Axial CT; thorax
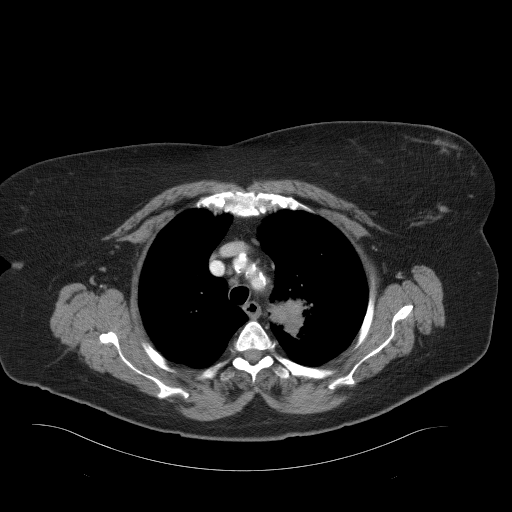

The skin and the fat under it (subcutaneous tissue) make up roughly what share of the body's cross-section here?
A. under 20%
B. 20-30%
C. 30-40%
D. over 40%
Answer: D. over 40%
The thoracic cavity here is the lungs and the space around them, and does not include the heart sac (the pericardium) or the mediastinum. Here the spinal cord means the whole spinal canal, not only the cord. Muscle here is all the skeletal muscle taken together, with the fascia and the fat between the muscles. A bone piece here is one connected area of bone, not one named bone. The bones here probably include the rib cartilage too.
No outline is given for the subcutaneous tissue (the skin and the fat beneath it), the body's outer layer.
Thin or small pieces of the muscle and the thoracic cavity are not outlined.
{"torso":[[[332,120],[438,126],[470,141],[488,164],[496,193],[483,231],[499,277],[490,342],[475,364],[376,417],[270,441],[208,440],[152,430],[5,374],[0,365],[0,274],[9,264],[0,257],[1,181],[27,165],[70,153],[163,141],[223,145],[280,128]]],"thoracic_cavity":[[[284,209],[292,211],[303,210],[317,214],[333,224],[354,248],[367,281],[367,304],[356,336],[343,351],[319,367],[300,364],[283,355],[277,350],[277,340],[271,337],[272,333],[267,310],[274,288],[275,264],[261,246],[258,239],[258,228],[268,215]],[[188,208],[203,208],[214,215],[229,213],[233,216],[225,234],[212,250],[207,266],[213,276],[225,280],[228,301],[241,309],[248,319],[219,360],[205,368],[190,367],[169,361],[158,351],[154,347],[144,327],[138,306],[140,274],[151,244],[164,226]]],"bones":[{"outer":[[251,320],[276,340],[276,350],[283,356],[300,365],[331,368],[334,372],[320,379],[292,374],[280,378],[272,365],[262,368],[253,383],[248,372],[229,364],[226,367],[233,375],[227,380],[221,380],[218,373],[198,379],[203,370],[230,355],[230,344]],"hole":[[250,349],[255,349],[256,350],[258,350],[259,351],[261,351],[261,352],[262,353],[262,356],[261,357],[261,358],[255,363],[250,363],[245,358],[244,358],[244,357],[243,356],[243,354],[244,353],[244,352],[245,351],[246,351],[247,350],[249,350]]},[[229,190],[253,191],[255,193],[270,192],[284,196],[291,196],[301,203],[310,207],[315,213],[303,209],[292,210],[284,208],[278,209],[276,211],[268,211],[264,214],[255,216],[234,216],[229,212],[214,214],[206,208],[192,207],[192,205],[201,197]],[[109,331],[116,334],[122,354],[136,368],[157,378],[166,385],[182,388],[189,395],[184,398],[181,394],[175,393],[164,398],[158,398],[156,394],[159,387],[154,381],[130,368],[121,359],[116,347],[111,342],[102,343],[100,341],[99,335]],[[407,304],[411,304],[413,308],[406,317],[395,323],[394,335],[391,340],[356,368],[352,375],[355,381],[354,384],[339,384],[334,389],[330,389],[328,385],[332,381],[346,375],[358,361],[379,346],[389,336],[391,332],[391,321],[394,314],[401,307]],[[371,273],[374,275],[374,277],[375,278],[375,289],[376,290],[373,317],[372,318],[372,321],[371,322],[371,324],[366,337],[360,344],[360,345],[354,349],[353,347],[356,342],[357,335],[362,324],[362,322],[367,309],[368,299],[369,298],[369,277]],[[143,340],[144,341],[146,341],[148,342],[158,352],[159,352],[167,360],[167,363],[171,367],[174,368],[176,370],[176,372],[170,372],[169,371],[167,371],[159,367],[157,365],[156,365],[150,359],[150,358],[145,352],[144,349],[142,347],[141,342]]],"spinal_cord":[[[250,349],[255,349],[256,350],[258,350],[259,351],[261,351],[261,352],[262,353],[262,356],[261,357],[261,358],[255,363],[250,363],[245,358],[244,358],[244,357],[243,356],[243,354],[244,353],[244,352],[245,351],[246,351],[247,350],[249,350]]],"mediastinum":[[[268,212],[273,212],[268,214],[258,226],[257,239],[263,251],[271,258],[274,264],[273,288],[266,310],[271,335],[257,320],[249,320],[241,308],[229,301],[226,280],[223,277],[213,275],[208,266],[209,258],[213,250],[226,234],[234,217],[255,217]]],"muscle":[{"outer":[[282,178],[315,184],[353,202],[387,231],[370,228],[372,236],[365,238],[368,252],[379,270],[382,287],[401,282],[404,276],[410,275],[415,264],[430,267],[442,284],[444,326],[417,341],[409,354],[395,358],[363,381],[353,397],[327,411],[292,414],[276,411],[257,395],[233,415],[200,421],[183,416],[159,399],[175,394],[186,399],[190,394],[136,367],[123,354],[113,330],[101,332],[99,341],[111,343],[130,369],[154,382],[158,387],[157,398],[92,370],[74,352],[66,352],[66,346],[53,336],[49,320],[64,285],[80,282],[94,291],[101,292],[106,286],[128,293],[135,245],[129,241],[101,238],[152,197],[174,185],[202,179],[232,181],[246,187],[255,180]],"holes":[[[229,190],[293,197],[347,238],[359,257],[368,286],[370,274],[374,275],[376,293],[368,333],[358,347],[353,348],[356,336],[319,367],[333,369],[331,375],[280,378],[272,365],[262,368],[253,383],[248,372],[229,364],[226,367],[233,375],[227,380],[221,380],[218,373],[198,379],[204,368],[168,360],[176,372],[167,371],[142,347],[143,340],[154,346],[138,306],[140,274],[151,244],[164,226],[199,198]],[[407,304],[411,304],[413,308],[406,317],[395,323],[394,335],[391,340],[356,368],[352,375],[355,381],[354,384],[339,384],[334,389],[330,389],[328,385],[332,381],[346,375],[358,361],[379,346],[389,336],[391,332],[391,321],[394,314],[401,307]]]}]}